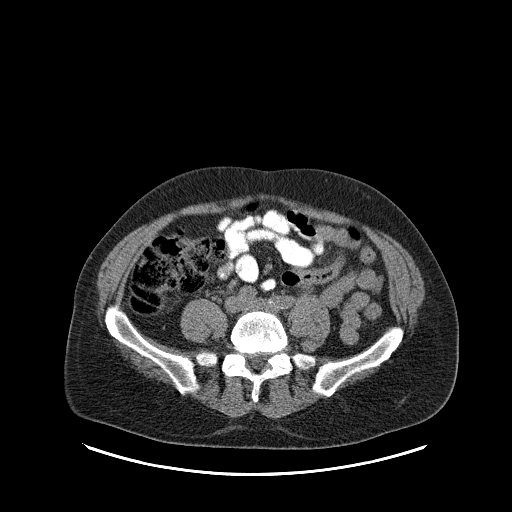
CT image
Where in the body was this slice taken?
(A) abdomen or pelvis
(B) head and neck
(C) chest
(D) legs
Answer: (A) abdomen or pelvis
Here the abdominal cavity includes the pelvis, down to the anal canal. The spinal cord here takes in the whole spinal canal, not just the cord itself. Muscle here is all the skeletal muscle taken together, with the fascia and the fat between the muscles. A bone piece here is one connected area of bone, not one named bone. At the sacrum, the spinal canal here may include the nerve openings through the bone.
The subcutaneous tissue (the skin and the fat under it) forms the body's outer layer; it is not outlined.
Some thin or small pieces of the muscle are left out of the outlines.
abdominal cavity: 255,199 363,231 380,251 395,323 353,355 314,355 304,353 331,329 315,297 295,299 287,333 277,315 253,309 229,340 221,308 197,298 184,306 180,331 212,348 181,349 142,333 122,298 150,240 181,216
muscle 1: 258,193 282,196 357,220 388,234 406,249 420,270 425,288 425,298 413,334 398,348 405,332 395,324 388,273 381,251 363,230 309,216 276,200 255,198 218,213 187,214 175,218 149,240 135,260 123,288 123,309 118,302 109,304 104,310 103,322 113,338 160,368 174,387 137,372 126,363 97,320 95,283 106,256 128,233 162,215 189,205
muscle 2: 197,299 214,303 224,314 225,338 231,349 223,355 220,369 226,377 249,380 254,403 265,380 289,374 294,367 308,370 317,364 316,356 351,356 317,367 310,388 326,398 304,409 279,418 255,409 238,417 215,414 184,396 201,388 196,364 213,367 219,362 218,354 214,350 203,349 194,355 193,360 155,346 139,332 181,350 198,348 212,349 188,340 181,331 182,312
muscle 3: 300,296 309,296 312,298 315,298 326,308 329,314 330,329 329,330 329,333 325,338 323,343 320,346 317,347 312,352 296,351 290,354 287,352 287,349 289,344 289,336 288,335 288,314 294,305 296,299
muscle 4: 384,362 385,362 383,365 376,372 373,373 370,376 365,378 363,380 360,380 353,384 348,385 346,387 342,388 334,394 338,388 342,384 346,382 355,374 360,373 365,370 368,370 372,368 378,367
spinal cord: 254,354 258,354 259,355 261,355 262,356 265,357 265,358 266,359 265,360 265,364 264,365 264,366 261,369 260,369 258,371 252,369 249,366 249,364 248,363 248,359 250,357 250,356 251,355 253,355
torso: 211,165 260,169 315,167 335,171 376,188 406,214 444,274 459,323 455,384 449,399 435,415 418,424 349,445 259,449 161,442 80,418 70,410 63,392 63,362 74,290 87,257 118,218 145,193 175,175
bones 1: 253,310 267,311 279,318 288,336 288,354 300,352 316,359 316,364 308,369 294,366 289,373 265,379 260,384 256,402 251,397 253,383 249,379 226,376 221,369 224,355 232,349 230,333 233,326 242,314; inner edge: 254,354 258,354 259,355 261,355 262,356 265,357 265,358 266,359 265,360 265,364 264,365 264,366 261,369 260,369 258,371 252,369 249,366 249,364 248,363 248,359 250,357 250,356 251,355 253,355
bones 2: 116,303 119,304 138,332 155,347 169,353 187,356 193,361 195,360 195,355 203,350 214,351 217,354 218,362 213,366 195,364 194,372 200,385 196,392 182,395 160,367 111,335 104,322 104,315 106,308
bones 3: 394,325 400,326 403,329 404,334 401,342 389,358 378,366 355,373 342,383 334,393 328,397 320,395 312,391 311,388 315,379 315,374 320,365 328,361 340,361 347,359 362,352 373,344 390,326